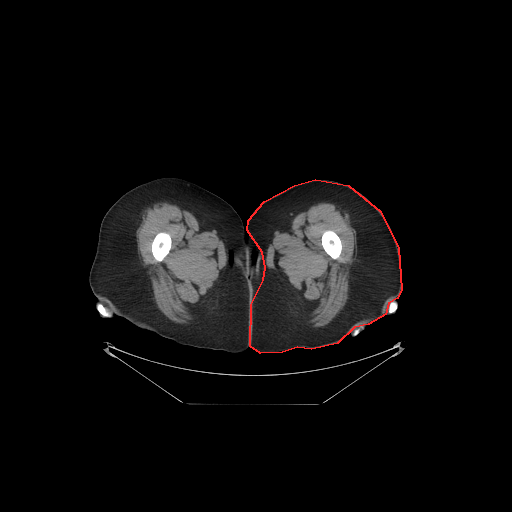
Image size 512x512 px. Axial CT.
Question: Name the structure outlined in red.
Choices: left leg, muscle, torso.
Answer: red: left leg.
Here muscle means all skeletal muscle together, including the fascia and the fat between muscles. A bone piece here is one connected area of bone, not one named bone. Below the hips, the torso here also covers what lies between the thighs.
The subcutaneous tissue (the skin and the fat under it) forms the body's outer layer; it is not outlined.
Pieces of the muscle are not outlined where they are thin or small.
{"left_leg":[[[315,179],[348,185],[380,211],[398,248],[401,289],[397,298],[388,303],[385,314],[368,324],[354,327],[337,343],[311,349],[297,347],[282,352],[260,353],[250,346],[251,304],[263,280],[265,267],[262,252],[247,230],[248,220],[264,201],[294,185]]],"bones":[[[159,232],[166,232],[170,235],[170,237],[171,238],[171,248],[170,249],[168,254],[161,261],[157,261],[154,258],[154,257],[152,254],[152,252],[151,251],[151,243],[152,242],[152,240],[155,236],[155,235]],[[325,230],[332,230],[333,231],[334,231],[339,236],[339,237],[341,240],[341,244],[342,245],[342,248],[341,249],[341,252],[340,253],[340,255],[337,259],[333,259],[328,254],[327,254],[324,250],[324,249],[321,244],[321,236],[322,235],[323,232]],[[97,302],[99,302],[100,303],[101,303],[112,314],[112,316],[111,317],[103,317],[101,315],[100,315],[100,314],[98,312],[98,311],[96,309],[96,303]],[[394,300],[395,300],[397,302],[397,309],[393,313],[388,313],[388,307],[389,306],[389,304],[390,303],[390,302],[391,302],[392,301],[393,301]],[[363,324],[366,324],[366,325],[365,326],[365,327],[361,331],[360,331],[358,333],[357,333],[355,335],[354,335],[353,334],[353,333],[354,332],[354,331],[359,326],[360,326],[361,325],[362,325]]],"torso":[[[247,231],[250,238],[255,242],[261,252],[261,256],[264,267],[264,273],[262,280],[255,291],[252,297],[252,299],[250,298],[249,295],[243,288],[240,273],[238,270],[238,266],[237,265],[237,255],[238,254],[238,251],[245,238],[245,235],[247,234]]],"muscle":[{"outer":[[320,202],[330,202],[339,205],[348,212],[352,221],[351,225],[356,231],[358,255],[350,270],[348,298],[345,305],[329,323],[324,326],[312,328],[305,324],[306,315],[283,278],[267,266],[266,253],[267,240],[270,235],[283,226],[297,212],[311,204]],"hole":[[325,230],[332,230],[333,231],[334,231],[339,236],[339,237],[341,240],[341,244],[342,245],[342,248],[341,249],[341,252],[340,253],[340,255],[337,259],[333,259],[328,254],[327,254],[324,250],[324,249],[321,244],[321,236],[322,235],[323,232]]},{"outer":[[160,201],[167,201],[186,207],[209,227],[216,230],[221,236],[224,246],[227,250],[227,261],[223,268],[220,279],[207,294],[200,313],[196,321],[193,323],[179,324],[173,322],[158,309],[149,288],[147,273],[138,258],[136,227],[143,206],[148,203]],"hole":[[159,232],[166,232],[170,235],[170,237],[171,238],[171,248],[170,249],[168,254],[161,261],[157,261],[154,258],[154,257],[152,254],[152,252],[151,251],[151,243],[152,242],[152,240],[155,236],[155,235]]},[[99,300],[100,301],[102,301],[112,311],[112,312],[113,313],[113,314],[101,302],[100,302],[99,301]]],"left_arm":[[[392,299],[397,299],[396,300],[396,301],[397,302],[397,309],[393,313],[388,313],[387,314],[386,314],[386,311],[387,310],[387,308],[388,307],[388,305],[389,304],[389,303],[391,301],[391,300]],[[363,324],[365,324],[366,325],[365,326],[365,327],[361,331],[360,331],[358,333],[357,333],[355,335],[353,335],[352,334],[351,334],[350,333],[351,332],[351,331],[354,328],[356,328],[357,327],[358,327],[359,326],[360,326],[361,325],[362,325]]],"right_arm":[[[96,298],[97,299],[98,299],[100,301],[103,301],[104,302],[106,302],[110,306],[110,307],[112,309],[112,310],[114,312],[114,313],[115,314],[115,315],[113,315],[111,317],[102,317],[100,315],[100,314],[98,312],[98,311],[96,309]]],"right_leg":[[[160,177],[183,178],[211,191],[229,203],[241,218],[245,234],[237,251],[236,265],[242,288],[251,300],[250,347],[242,352],[230,353],[224,350],[183,345],[141,328],[116,315],[111,306],[95,297],[91,290],[89,272],[105,213],[130,189]]]}